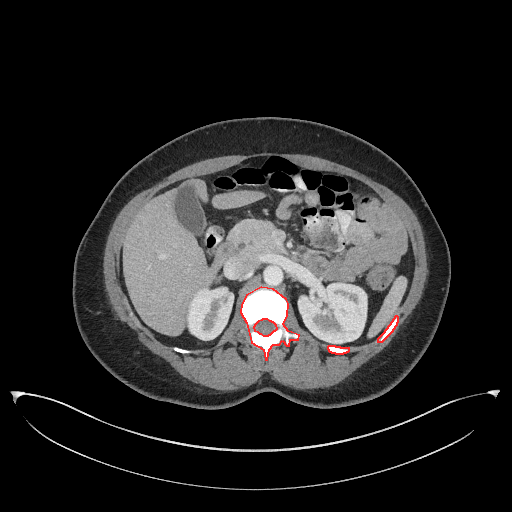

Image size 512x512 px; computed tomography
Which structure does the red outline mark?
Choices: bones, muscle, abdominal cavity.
red: bones.
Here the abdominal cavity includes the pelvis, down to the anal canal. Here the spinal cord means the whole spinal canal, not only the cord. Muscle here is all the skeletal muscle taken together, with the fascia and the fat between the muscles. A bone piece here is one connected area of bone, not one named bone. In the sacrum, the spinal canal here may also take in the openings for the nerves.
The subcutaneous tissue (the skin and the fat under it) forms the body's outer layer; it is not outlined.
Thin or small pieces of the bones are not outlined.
Outlines:
bones 1: 265,359 267,359 269,349 273,344 279,344 282,340 286,345 289,345 290,339 298,339 299,335 288,331 283,324 287,315 288,303 286,299 273,289 261,287 246,295 241,304 240,312 246,322 251,342 263,349; inner edge: 263,335 268,335 269,334 270,334 274,330 275,330 277,328 276,325 273,322 272,322 271,321 270,321 267,319 262,319 261,320 258,321 254,325 254,326 253,327 254,330 257,331 259,333 260,333
bones 2: 377,341 382,341 393,330 393,329 395,327 395,326 397,324 397,322 398,321 398,317 397,316 395,316 394,317 394,318 392,320 392,321 390,323 390,324 387,327 387,328 384,331 384,332 377,339
bones 3: 335,353 343,353 344,352 346,352 347,351 348,351 349,350 349,348 341,348 340,347 336,347 335,346 328,346 327,347 327,348 328,349 328,350 329,351 330,351 331,352 334,352
spinal cord: 263,335 268,335 269,334 270,334 274,330 275,330 277,328 276,325 273,322 272,322 271,321 270,321 267,319 262,319 261,320 258,321 254,325 254,326 253,327 254,330 257,331 259,333 260,333
abdominal cavity: 186,349 217,343 236,302 261,286 280,292 293,306 300,325 320,342 348,347 374,340 395,315 411,283 413,256 401,218 363,182 306,168 277,155 246,159 160,190 126,231 120,251 120,281 140,323 160,341
muscle: 218,391 232,391 245,388 259,380 265,373 274,380 296,389 327,388 346,379 390,343 402,323 410,316 419,302 428,274 427,255 421,225 414,211 401,197 388,187 366,175 336,162 306,154 265,151 247,155 224,155 189,164 171,173 151,187 137,193 124,205 111,226 103,256 104,284 112,310 136,334 137,339 144,347 161,357 179,374 200,387; inner edge: 265,359 273,344 299,338 283,324 289,302 300,325 331,352 382,341 397,324 395,313 413,273 405,226 373,189 277,155 160,190 132,220 120,251 120,281 137,325 174,350 191,353 217,343 241,298 251,342
torso: 200,409 231,407 266,391 316,408 354,405 393,388 421,358 447,299 450,253 420,189 385,152 319,122 276,116 233,118 194,128 164,143 131,166 111,188 74,258 72,305 79,333 100,364 130,388 153,399